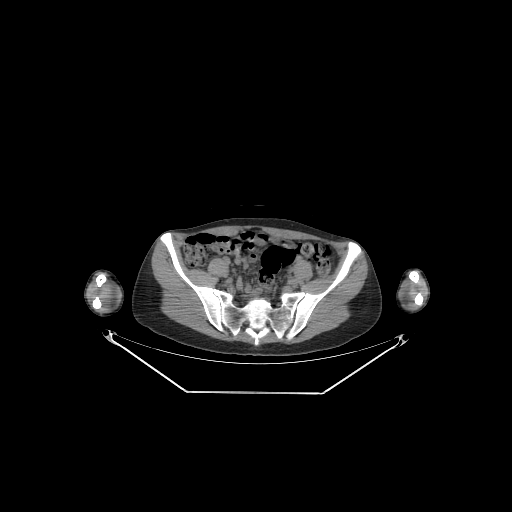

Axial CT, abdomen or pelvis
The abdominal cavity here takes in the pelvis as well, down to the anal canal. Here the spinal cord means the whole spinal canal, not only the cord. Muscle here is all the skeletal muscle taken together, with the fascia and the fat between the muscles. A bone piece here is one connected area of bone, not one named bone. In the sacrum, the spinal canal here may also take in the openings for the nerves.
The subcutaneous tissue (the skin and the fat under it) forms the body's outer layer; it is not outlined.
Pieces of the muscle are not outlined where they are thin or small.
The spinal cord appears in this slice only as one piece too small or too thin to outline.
The left arm is outlined by 412 266; 417 266; 423 270; 428 279; 428 281; 430 285; 430 290; 431 291; 431 293; 430 294; 429 301; 427 305; 423 309; 416 313; 408 314; 403 312; 397 306; 396 301; 395 300; 395 293; 402 273; 405 269; 408 267; 411 267. The muscle appears in 6 outlined pieces: piece 1: 158 240; 166 248; 173 268; 177 274; 198 297; 207 320; 220 332; 225 333; 227 330; 233 336; 236 336; 243 328; 244 332; 253 339; 253 344; 242 341; 225 341; 211 337; 170 319; 160 310; 161 288; 155 280; 151 268; 151 257; piece 2: 363 252; 368 266; 368 273; 360 292; 350 302; 351 315; 347 320; 335 328; 322 332; 301 342; 292 344; 272 342; 259 345; 260 339; 271 331; 278 339; 284 337; 287 340; 291 340; 298 334; 306 326; 317 304; 347 276; 351 266; piece 3: 224 225; 262 225; 268 227; 300 231; 334 241; 348 241; 346 246; 345 255; 332 281; 325 289; 320 292; 309 292; 300 290; 301 287; 295 274; 295 269; 301 263; 307 262; 312 267; 312 276; 310 279; 311 280; 325 279; 331 275; 334 272; 339 260; 338 253; 336 249; 331 244; 317 239; 276 238; 261 229; 255 227; 242 229; 234 235; 217 235; 210 233; 208 231; 200 231; 207 228; piece 4: 171 232; 182 232; 183 233; 197 232; 186 236; 183 239; 180 247; 181 255; 187 268; 207 270; 209 263; 214 258; 220 258; 227 262; 229 267; 228 273; 225 276; 218 277; 217 287; 196 284; 187 276; 178 259; 173 242; 173 236; piece 5: 98 272; 95 277; 95 283; 98 287; 100 287; 107 280; 105 273; 107 273; 120 289; 120 301; 118 305; 109 312; 98 312; 95 310; 99 309; 102 306; 102 302; 98 295; 95 295; 92 299; 91 306; 87 299; 87 288; 93 276; piece 6: 408 272; 407 275; 408 278; 415 284; 417 284; 419 282; 420 279; 419 272; 424 279; 427 288; 427 296; 423 303; 424 297; 423 294; 420 291; 418 291; 414 295; 413 302; 418 307; 411 310; 407 309; 403 306; 399 297; 401 285. The torso is outlined by 232 217; 285 218; 334 234; 347 236; 357 241; 367 251; 381 288; 382 312; 377 323; 364 334; 339 347; 292 356; 242 356; 204 351; 182 345; 157 335; 140 325; 134 319; 131 312; 131 294; 139 267; 155 238; 168 229; 191 227. The bones appear in 5 outlined pieces: piece 1: 164 232; 171 233; 186 276; 196 285; 233 294; 232 302; 238 306; 255 297; 278 306; 283 292; 320 293; 335 278; 349 241; 362 252; 298 333; 287 339; 271 330; 254 345; 243 327; 233 335; 208 320; 199 297; 178 274; 159 239; piece 2: 411 270; 417 270; 418 271; 418 273; 419 274; 419 279; 418 280; 418 282; 417 283; 415 283; 413 281; 412 281; 409 278; 409 276; 408 275; 409 274; 409 272; piece 3: 100 272; 103 272; 105 274; 105 276; 106 277; 106 280; 100 286; 98 286; 97 285; 97 284; 96 283; 96 277; 98 275; 98 274; piece 4: 418 292; 420 292; 422 294; 422 296; 423 297; 423 301; 422 302; 422 304; 420 306; 419 306; 418 305; 417 305; 414 302; 414 297; 415 296; 415 295; piece 5: 95 296; 98 296; 99 297; 99 299; 100 300; 100 301; 101 302; 101 306; 99 308; 98 308; 97 309; 94 309; 93 308; 93 307; 92 306; 92 301; 93 300; 93 299; 95 297. The abdominal cavity is outlined by 251 228; 276 239; 331 245; 338 256; 333 272; 311 279; 313 267; 303 261; 294 269; 300 289; 283 291; 278 305; 264 296; 235 304; 233 293; 218 288; 228 262; 214 257; 207 269; 189 268; 181 247; 198 232; 234 236. The right arm is outlined by 99 268; 105 268; 113 272; 120 281; 124 289; 124 301; 123 302; 123 305; 121 309; 116 313; 114 313; 112 315; 107 317; 101 317; 100 316; 95 315; 92 313; 86 306; 84 301; 84 298; 83 297; 84 286; 89 275; 94 270.